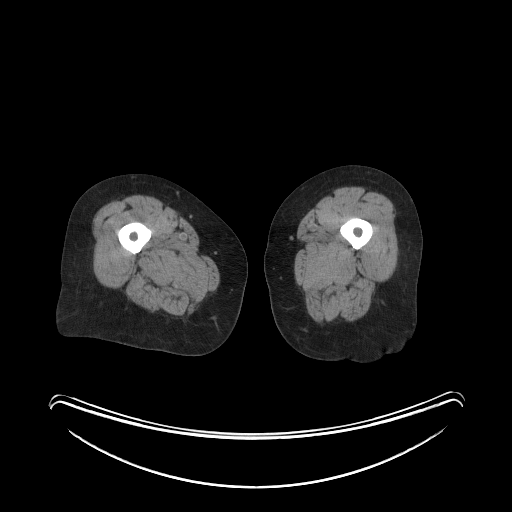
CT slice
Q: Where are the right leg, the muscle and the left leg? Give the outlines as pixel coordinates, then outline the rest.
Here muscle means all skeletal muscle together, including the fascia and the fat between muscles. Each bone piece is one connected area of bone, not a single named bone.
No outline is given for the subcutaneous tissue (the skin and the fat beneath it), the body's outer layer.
A: Outlines (x, y in pixels):
right leg: (127, 173) (152, 174) (183, 187) (201, 200) (232, 229) (245, 250) (248, 273) (239, 317) (225, 342) (210, 353) (201, 356) (183, 356) (131, 347) (95, 338) (66, 337) (61, 335) (56, 328) (55, 310) (61, 286) (60, 261) (70, 212) (77, 199) (89, 187) (108, 177)
muscle 1: (132, 194) (154, 196) (161, 200) (166, 206) (175, 209) (193, 226) (218, 268) (220, 281) (217, 289) (188, 317) (173, 318) (146, 312) (118, 293) (106, 290) (98, 283) (94, 276) (92, 257) (95, 241) (92, 235) (92, 219) (97, 210) (104, 204) (111, 200) (121, 199); inner edge: (132, 221) (139, 221) (143, 223) (147, 227) (149, 228) (149, 231) (152, 234) (149, 240) (143, 246) (143, 247) (140, 250) (140, 251) (136, 254) (132, 254) (130, 252) (125, 250) (121, 246) (117, 237) (117, 234) (120, 231) (120, 228) (125, 224) (129, 222) (131, 222)
muscle 2: (341, 186) (370, 187) (391, 200) (396, 214) (394, 224) (398, 239) (398, 261) (392, 276) (379, 286) (375, 299) (364, 317) (344, 327) (322, 327) (315, 323) (307, 313) (303, 293) (295, 282) (293, 265) (298, 244) (295, 235) (297, 226) (302, 217) (322, 197) (335, 188), around a hole outlined by (352, 216) (355, 216) (356, 217) (359, 217) (362, 219) (364, 219) (368, 221) (373, 226) (373, 233) (372, 234) (371, 238) (365, 245) (364, 245) (360, 249) (358, 249) (357, 250) (356, 249) (354, 249) (352, 247) (352, 246) (341, 235) (339, 231) (340, 226) (348, 218)
left leg: (348, 164) (371, 166) (398, 180) (415, 204) (423, 237) (417, 284) (418, 316) (415, 332) (399, 352) (384, 355) (381, 359) (371, 363) (359, 363) (348, 359) (317, 360) (293, 349) (282, 337) (274, 322) (263, 270) (263, 256) (269, 227) (283, 200) (310, 177) (329, 168)
bones 1: (132, 221) (139, 221) (143, 223) (147, 227) (149, 228) (149, 231) (152, 234) (149, 240) (143, 246) (143, 247) (140, 250) (140, 251) (136, 254) (132, 254) (130, 252) (125, 250) (121, 246) (117, 237) (117, 234) (120, 231) (120, 228) (125, 224) (129, 222) (131, 222)
bones 2: (352, 216) (355, 216) (356, 217) (359, 217) (362, 219) (364, 219) (368, 221) (373, 226) (373, 233) (372, 234) (371, 238) (365, 245) (364, 245) (360, 249) (358, 249) (357, 250) (356, 249) (354, 249) (352, 247) (352, 246) (341, 235) (339, 231) (340, 226) (348, 218)